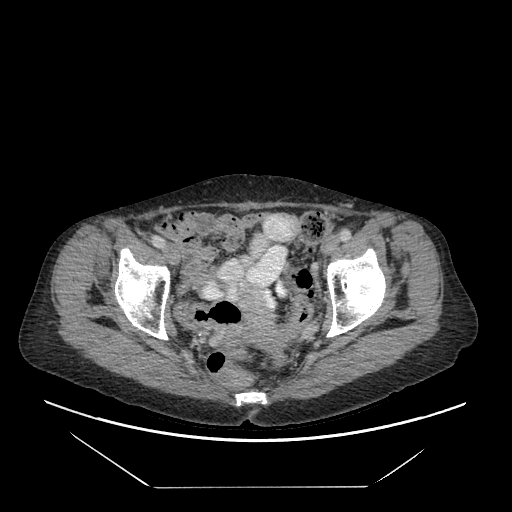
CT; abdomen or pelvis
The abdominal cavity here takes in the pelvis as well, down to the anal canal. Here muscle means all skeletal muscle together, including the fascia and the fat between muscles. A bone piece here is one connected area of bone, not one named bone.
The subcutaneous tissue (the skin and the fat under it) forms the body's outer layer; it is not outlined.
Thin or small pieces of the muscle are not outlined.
Outlines:
bones 1: 368 247; 372 247; 374 249; 376 253; 378 264; 385 277; 386 287; 383 301; 374 314; 362 321; 352 329; 332 337; 326 337; 325 335; 329 330; 332 320; 332 305; 326 280; 326 265; 329 261; 338 258; 349 259; 360 256
bones 2: 126 246; 129 248; 134 258; 138 262; 142 264; 166 265; 169 268; 170 289; 164 309; 164 323; 166 332; 169 337; 168 340; 154 337; 134 326; 126 317; 116 300; 114 292; 114 285; 118 274; 118 260; 119 259; 118 253; 121 248
bones 3: 250 390; 265 392; 267 394; 267 396; 266 397; 267 398; 267 403; 266 404; 261 404; 258 402; 256 402; 255 403; 247 403; 246 402; 243 402; 240 406; 235 406; 235 402; 236 401; 234 397; 234 394; 235 393; 245 392
torso: 234 173; 298 178; 411 212; 432 222; 443 233; 457 275; 475 307; 478 331; 473 343; 460 352; 452 366; 385 398; 326 418; 272 427; 248 420; 238 426; 182 420; 126 404; 30 365; 18 348; 19 328; 44 257; 65 229; 106 210
muscle: 220 201; 313 202; 420 223; 443 273; 439 329; 394 364; 317 397; 260 406; 241 406; 266 405; 268 394; 263 391; 312 349; 326 291; 324 336; 332 338; 375 314; 386 277; 372 246; 329 260; 364 217; 311 206; 182 207; 129 222; 166 264; 142 263; 121 247; 114 297; 134 327; 168 341; 171 280; 176 336; 205 375; 237 392; 234 406; 162 392; 84 358; 62 339; 51 300; 53 266; 68 239; 100 216
abdominal cavity: 198 207; 223 207; 239 211; 311 207; 344 216; 364 218; 354 236; 337 246; 325 265; 326 306; 319 335; 293 372; 276 385; 263 390; 238 392; 205 374; 177 336; 170 312; 170 268; 164 256; 139 237; 130 222; 153 218; 182 208